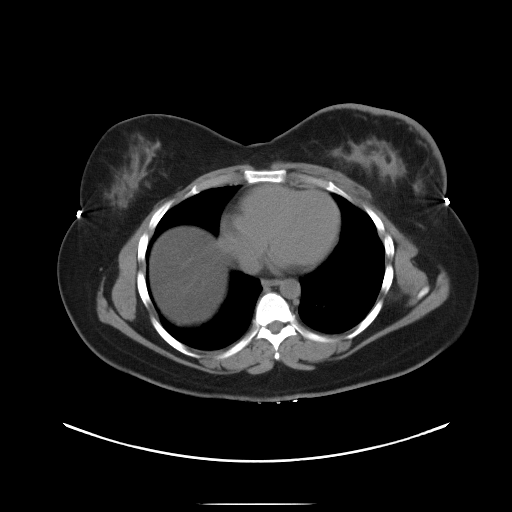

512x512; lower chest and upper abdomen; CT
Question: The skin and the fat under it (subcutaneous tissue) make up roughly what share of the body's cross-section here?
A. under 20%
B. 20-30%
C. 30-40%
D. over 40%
Answer: D. over 40%
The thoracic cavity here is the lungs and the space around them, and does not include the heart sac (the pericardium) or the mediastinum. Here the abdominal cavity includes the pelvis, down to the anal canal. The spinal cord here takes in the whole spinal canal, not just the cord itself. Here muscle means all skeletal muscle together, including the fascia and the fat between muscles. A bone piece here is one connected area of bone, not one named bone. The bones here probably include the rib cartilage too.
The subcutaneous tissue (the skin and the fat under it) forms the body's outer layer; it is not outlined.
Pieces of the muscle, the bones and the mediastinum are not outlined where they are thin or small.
Outlines:
thoracic cavity 1: 332 193; 343 197; 363 210; 368 215; 382 241; 385 256; 384 272; 376 301; 367 314; 353 329; 343 333; 322 333; 314 331; 302 324; 296 314; 300 303; 302 290; 299 279; 320 266; 332 253; 340 239; 342 214; 338 204; 332 197
thoracic cavity 2: 225 185; 239 188; 221 211; 218 241; 199 227; 176 225; 157 237; 148 258; 154 302; 168 321; 182 328; 200 326; 218 312; 231 270; 259 280; 261 291; 248 330; 229 347; 200 351; 176 339; 159 321; 146 281; 146 252; 170 208
muscle: 275 161; 331 168; 366 188; 371 202; 418 251; 446 271; 450 291; 439 306; 344 358; 316 363; 311 370; 295 369; 278 361; 259 374; 243 370; 215 374; 184 365; 99 320; 96 295; 100 285; 121 248; 154 205; 207 172; 246 163; 257 169; 243 168; 210 176; 194 184; 175 205; 172 206; 173 198; 165 201; 149 219; 150 237; 144 231; 138 238; 136 257; 144 263; 144 271; 139 269; 136 273; 136 289; 143 305; 148 308; 151 304; 157 314; 158 319; 153 315; 149 317; 155 331; 171 347; 196 359; 201 355; 190 349; 200 352; 226 349; 215 356; 222 360; 253 340; 265 339; 271 344; 277 361; 279 346; 287 337; 299 335; 315 342; 330 343; 333 338; 319 333; 350 332; 344 338; 352 339; 365 330; 383 307; 384 300; 377 300; 380 291; 386 294; 394 279; 393 265; 385 264; 385 257; 390 259; 395 253; 391 235; 385 232; 383 221; 369 206; 363 204; 363 209; 360 208; 333 181; 305 173; 289 175; 285 168; 261 169
abdominal cavity: 176 226; 193 226; 207 232; 214 240; 217 240; 219 242; 225 258; 231 266; 231 269; 229 271; 227 293; 219 309; 209 320; 200 325; 191 327; 182 327; 176 325; 163 315; 155 302; 148 276; 149 258; 154 242; 166 230; 174 228
mediastinum 1: 231 267; 235 267; 249 274; 253 275; 257 274; 266 278; 300 277; 298 281; 301 290; 299 303; 296 311; 295 312; 292 311; 288 302; 277 292; 268 291; 259 297; 262 291; 262 285; 260 280; 242 271; 232 269
mediastinum 2: 242 182; 245 182; 247 184; 251 184; 250 184; 249 185; 247 185; 246 186; 245 186; 243 188; 242 188; 241 189; 240 189; 236 193; 236 192; 240 188; 240 185; 239 184; 230 184; 237 184; 238 183; 241 183
mediastinum 3: 234 194; 235 194; 234 195; 234 196; 233 197; 233 199; 226 206; 226 207; 223 210; 223 211; 222 212; 222 211; 223 210; 223 209; 224 208; 224 207; 226 205; 226 204; 229 201; 229 200; 234 195
pericardium: 263 183; 300 184; 303 186; 315 186; 325 190; 337 204; 341 214; 341 227; 339 239; 328 257; 312 271; 295 277; 266 277; 257 273; 249 273; 235 266; 232 266; 226 258; 219 241; 220 218; 222 213; 240 190; 252 184
torso: 348 102; 411 117; 441 152; 447 172; 441 201; 467 228; 480 263; 475 309; 456 343; 391 379; 260 403; 162 388; 109 365; 88 348; 62 303; 56 264; 68 227; 82 215; 84 166; 110 126; 164 113; 250 144; 269 140; 323 107
spinal cord: 274 321; 279 321; 280 322; 281 322; 283 324; 283 326; 277 332; 272 332; 267 327; 267 326; 270 323; 271 323; 272 322; 273 322
bones 1: 268 292; 280 295; 302 325; 316 333; 333 339; 333 341; 315 341; 299 334; 287 336; 278 346; 279 358; 277 360; 274 358; 275 350; 267 339; 253 339; 234 354; 222 359; 216 358; 217 355; 237 342; 249 330; 258 299, around a hole outlined by 274 321; 279 321; 280 322; 281 322; 283 324; 283 326; 277 332; 272 332; 267 327; 267 326; 270 323; 271 323; 272 322; 273 322
bones 2: 243 169; 285 169; 289 176; 305 174; 331 181; 348 194; 354 203; 322 187; 298 182; 293 176; 290 176; 284 183; 269 181; 247 183; 245 181; 240 181; 237 183; 214 186; 183 199; 184 195; 194 185; 203 180; 221 174; 237 173
bones 3: 151 316; 153 316; 157 320; 158 320; 160 324; 170 335; 171 335; 176 340; 185 345; 191 351; 199 354; 200 355; 200 357; 196 358; 192 356; 186 355; 177 350; 171 346; 166 341; 165 341; 160 336; 152 325; 150 320; 150 317
bones 4: 379 299; 382 299; 383 300; 383 304; 378 314; 372 321; 372 322; 365 329; 364 329; 361 332; 360 332; 354 337; 352 338; 345 338; 345 336; 347 334; 350 333; 356 327; 356 326; 368 314; 368 313; 374 306; 375 303
bones 5: 139 270; 144 272; 144 274; 145 275; 145 281; 146 282; 146 286; 147 287; 148 294; 149 295; 149 297; 151 301; 151 303; 150 303; 148 305; 148 307; 146 307; 144 305; 139 295; 139 293; 137 289; 137 273
bones 6: 171 199; 173 199; 173 203; 172 204; 172 205; 161 217; 161 218; 155 226; 153 231; 152 230; 151 230; 148 227; 148 224; 150 221; 150 219; 151 218; 152 215; 155 212; 155 211; 161 205; 162 205; 165 202; 166 202
bones 7: 144 232; 147 232; 148 233; 149 235; 149 240; 148 241; 148 244; 147 245; 146 251; 145 252; 145 258; 144 259; 144 262; 143 262; 142 261; 139 261; 138 260; 138 258; 137 257; 137 247; 138 246; 138 242; 139 241; 139 238
bones 8: 388 263; 390 263; 392 265; 392 267; 393 268; 393 279; 392 280; 391 285; 390 286; 388 291; 386 293; 384 293; 382 291; 381 291; 381 286; 382 285; 382 282; 383 281; 383 278; 384 277; 384 273; 385 272; 385 266
bones 9: 363 205; 366 205; 368 207; 369 207; 380 218; 380 219; 383 223; 383 225; 384 226; 384 229; 385 230; 383 233; 380 233; 379 234; 378 233; 377 228; 376 227; 374 222; 369 216; 369 215; 364 210; 364 209; 363 208
bones 10: 385 233; 386 233; 387 234; 389 234; 390 235; 390 236; 393 241; 393 244; 394 245; 394 253; 393 254; 393 256; 390 258; 389 257; 387 257; 385 255; 385 248; 384 247; 384 244; 383 243; 383 238; 384 237; 384 235; 385 234